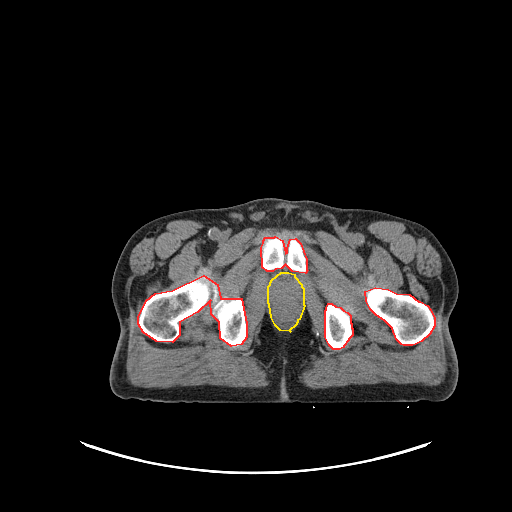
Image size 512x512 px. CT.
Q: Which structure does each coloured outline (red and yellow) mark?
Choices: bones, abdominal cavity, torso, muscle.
A: red: bones; yellow: abdominal cavity.
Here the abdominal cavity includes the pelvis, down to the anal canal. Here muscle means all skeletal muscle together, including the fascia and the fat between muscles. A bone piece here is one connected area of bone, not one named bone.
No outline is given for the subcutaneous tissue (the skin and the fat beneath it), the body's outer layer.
{"bones":[[[203,275],[217,284],[220,298],[241,298],[246,323],[246,337],[241,344],[231,346],[220,338],[219,322],[211,314],[210,300],[197,312],[179,322],[179,335],[172,342],[156,341],[143,332],[138,324],[138,317],[146,300],[155,293],[172,290]],[[375,287],[388,289],[396,293],[409,294],[418,301],[420,301],[427,305],[430,309],[434,318],[434,326],[429,334],[421,341],[415,344],[412,345],[403,345],[401,344],[396,339],[392,328],[384,320],[376,315],[370,309],[366,301],[365,291]],[[275,236],[282,240],[285,253],[287,252],[287,248],[290,239],[295,238],[300,243],[306,259],[306,269],[307,270],[305,273],[292,271],[285,264],[281,268],[275,269],[272,271],[267,271],[262,267],[261,247],[263,243],[263,240],[265,237],[274,237]],[[328,303],[331,303],[335,306],[340,307],[343,310],[347,312],[350,315],[350,322],[351,323],[351,327],[352,328],[352,335],[348,339],[348,340],[343,346],[343,347],[339,349],[333,349],[329,345],[325,337],[325,310],[326,309],[326,307]]],"abdominal_cavity":[[[281,272],[288,272],[294,274],[294,276],[301,284],[301,286],[303,288],[303,304],[304,305],[299,319],[297,320],[297,322],[295,325],[289,330],[290,331],[280,330],[275,325],[271,317],[269,304],[268,303],[268,286],[270,284],[270,282],[272,279]]],"muscle":[{"outer":[[179,219],[228,227],[318,231],[345,229],[373,221],[389,220],[407,224],[423,233],[439,249],[442,262],[445,291],[442,337],[447,364],[443,381],[437,385],[307,387],[299,380],[299,370],[304,360],[316,352],[309,317],[303,319],[293,334],[280,336],[266,316],[257,337],[255,351],[272,375],[267,385],[229,387],[204,384],[147,388],[130,384],[126,373],[129,338],[126,283],[129,257],[132,248],[146,232],[158,224]],"holes":[[[203,275],[217,284],[220,298],[241,298],[246,323],[246,337],[241,344],[231,346],[220,338],[219,322],[211,314],[210,300],[197,312],[179,322],[179,335],[172,342],[156,341],[143,332],[138,324],[138,317],[146,300],[155,293],[172,290]],[[375,287],[388,289],[396,293],[409,294],[418,301],[420,301],[427,305],[430,309],[434,318],[434,326],[429,334],[421,341],[415,344],[412,345],[403,345],[401,344],[396,339],[392,328],[384,320],[376,315],[370,309],[366,301],[365,291]],[[281,272],[288,272],[294,274],[294,276],[301,284],[301,286],[303,288],[303,304],[304,305],[299,319],[297,320],[297,322],[295,325],[289,330],[290,331],[280,330],[275,325],[271,317],[269,304],[268,303],[268,286],[270,284],[270,282],[272,279]],[[275,236],[282,240],[285,253],[287,252],[287,248],[290,239],[295,238],[300,243],[306,259],[306,269],[307,270],[305,273],[292,271],[285,264],[281,268],[275,269],[272,271],[267,271],[262,267],[261,247],[263,243],[263,240],[265,237],[274,237]],[[328,303],[331,303],[335,306],[340,307],[343,310],[347,312],[350,315],[350,322],[351,323],[351,327],[352,328],[352,335],[348,339],[348,340],[343,346],[343,347],[339,349],[333,349],[329,345],[325,337],[325,310],[326,309],[326,307]]]}],"torso":[[[270,197],[377,210],[418,222],[433,232],[452,260],[459,285],[448,321],[459,371],[456,387],[448,398],[439,402],[313,405],[298,402],[165,403],[123,399],[112,392],[109,371],[120,326],[111,297],[111,280],[130,236],[145,223],[170,213],[223,208]]]}